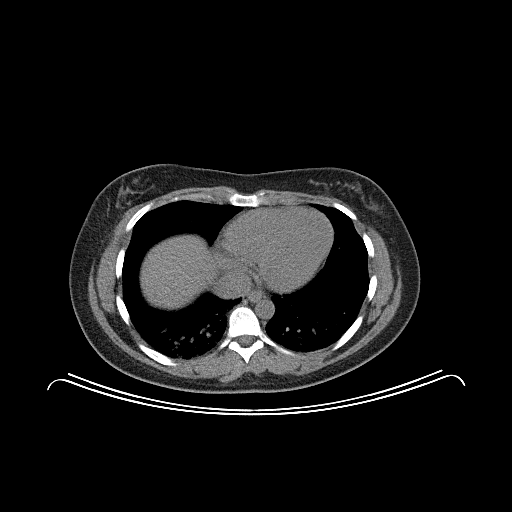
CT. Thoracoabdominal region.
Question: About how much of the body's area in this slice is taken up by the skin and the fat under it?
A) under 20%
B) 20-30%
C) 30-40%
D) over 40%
Answer: B) 20-30%
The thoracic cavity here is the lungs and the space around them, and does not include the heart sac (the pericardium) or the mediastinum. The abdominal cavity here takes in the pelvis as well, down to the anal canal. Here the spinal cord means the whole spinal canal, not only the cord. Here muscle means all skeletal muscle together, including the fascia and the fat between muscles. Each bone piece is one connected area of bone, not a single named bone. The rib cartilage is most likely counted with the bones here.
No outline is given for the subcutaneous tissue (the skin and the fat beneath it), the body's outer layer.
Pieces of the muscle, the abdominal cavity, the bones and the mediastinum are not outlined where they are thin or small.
thoracic cavity 1: 180 200; 241 207; 222 226; 211 245; 198 233; 176 233; 154 243; 139 264; 139 291; 145 303; 154 309; 177 312; 206 293; 240 299; 227 315; 220 342; 190 358; 173 358; 147 344; 131 321; 122 288; 124 258; 133 227; 152 209
thoracic cavity 2: 311 203; 335 208; 353 221; 366 249; 369 280; 358 314; 345 331; 333 343; 323 348; 302 352; 291 350; 277 343; 264 328; 276 310; 272 295; 274 293; 281 296; 288 294; 307 284; 324 266; 332 246; 333 226; 327 216; 311 206
bones 1: 238 305; 250 308; 257 317; 259 324; 265 333; 277 344; 295 352; 297 356; 292 356; 277 351; 266 343; 263 347; 257 349; 246 363; 236 351; 229 349; 226 346; 218 350; 217 346; 224 338; 228 327; 228 315; 230 311; inner edge: 242 335; 249 335; 250 336; 251 336; 253 338; 253 341; 249 345; 248 345; 247 346; 243 346; 242 345; 241 345; 239 343; 239 342; 238 341; 238 337; 239 337; 240 336; 241 336
bones 2: 227 188; 244 195; 255 194; 261 190; 265 191; 267 194; 280 194; 283 197; 283 202; 274 202; 258 206; 239 206; 228 203; 223 199; 217 199; 214 201; 180 199; 164 203; 168 202; 172 197; 177 195; 197 192; 215 194; 220 193
bones 3: 138 343; 141 343; 142 344; 144 344; 150 347; 152 349; 170 358; 172 358; 177 363; 177 365; 175 366; 166 365; 165 364; 162 364; 154 360; 152 358; 151 358; 149 356; 145 354; 138 347; 137 345
bones 4: 361 314; 363 315; 363 319; 362 320; 362 322; 360 326; 355 332; 355 333; 344 344; 343 344; 335 350; 332 350; 332 346; 333 344; 346 331; 346 330; 353 323; 353 322; 356 319; 358 315; 360 315
bones 5: 149 202; 152 202; 154 204; 154 208; 152 208; 150 210; 147 211; 134 224; 134 225; 132 227; 130 231; 128 231; 127 232; 125 231; 125 226; 128 222; 128 221; 130 219; 130 218; 132 216; 132 215; 137 210; 138 210
bones 6: 117 294; 119 294; 122 298; 123 300; 123 302; 125 305; 125 307; 129 314; 129 317; 130 318; 130 321; 131 322; 131 323; 129 325; 127 325; 125 323; 125 322; 121 317; 118 311; 118 309; 116 305; 116 299; 115 298
bones 7: 122 247; 124 247; 125 248; 125 253; 124 254; 124 257; 123 258; 123 263; 122 264; 122 269; 121 270; 121 277; 120 278; 117 278; 116 276; 116 268; 115 266; 116 265; 116 260; 117 259; 117 255; 118 254; 118 252; 119 250
bones 8: 373 274; 376 275; 376 278; 377 279; 377 284; 376 285; 376 288; 375 289; 375 292; 374 293; 372 298; 370 300; 368 300; 366 297; 366 295; 367 294; 367 292; 368 291; 368 288; 369 287; 369 281; 370 280; 370 276
bones 9: 333 202; 337 202; 338 203; 345 206; 347 208; 348 208; 350 210; 351 210; 356 215; 357 218; 355 220; 353 220; 349 216; 348 216; 342 211; 339 210; 337 208; 336 208; 335 207; 333 207; 332 206; 331 206; 331 204
bones 10: 364 232; 365 232; 369 236; 369 237; 371 239; 371 241; 372 242; 372 244; 373 245; 373 251; 374 252; 374 254; 372 257; 369 257; 368 256; 368 253; 367 252; 367 249; 366 248; 366 246; 364 243; 364 241; 362 238; 362 234
torso: 157 163; 177 163; 242 174; 332 166; 350 169; 370 178; 395 205; 417 253; 420 291; 407 325; 387 348; 359 367; 327 381; 289 391; 197 393; 148 383; 114 368; 90 345; 75 316; 68 284; 71 254; 82 223; 97 194; 119 175
abdominal cavity: 183 233; 198 234; 206 240; 207 243; 211 246; 211 248; 215 252; 216 260; 218 263; 219 275; 209 286; 208 292; 203 293; 187 307; 177 311; 168 311; 154 308; 146 303; 140 291; 138 282; 140 264; 146 252; 154 244; 169 236
mediastinum: 217 258; 222 264; 230 266; 237 271; 246 274; 261 288; 273 292; 271 295; 271 300; 274 304; 275 310; 273 315; 263 328; 260 324; 258 317; 250 307; 238 304; 241 301; 239 297; 221 297; 209 292; 210 286; 220 275; 219 263
spinal cord: 242 335; 249 335; 250 336; 251 336; 253 338; 253 341; 249 345; 248 345; 247 346; 243 346; 242 345; 241 345; 239 343; 239 342; 238 341; 238 337; 239 337; 240 336; 241 336
pericardium: 286 205; 309 206; 322 212; 329 220; 332 226; 333 239; 325 260; 316 274; 303 286; 291 292; 280 294; 261 287; 243 271; 237 270; 230 265; 222 263; 217 257; 216 252; 214 250; 214 242; 223 226; 236 214; 252 208
muscle: 219 185; 237 191; 227 187; 215 193; 186 192; 174 195; 156 207; 149 201; 137 209; 124 226; 124 231; 130 235; 126 248; 122 246; 116 255; 115 276; 121 278; 122 297; 119 293; 115 295; 115 305; 124 323; 127 326; 132 324; 146 343; 136 344; 145 355; 162 365; 175 367; 178 363; 174 359; 190 359; 216 347; 218 351; 226 347; 247 364; 251 356; 266 344; 292 357; 298 356; 296 352; 314 352; 332 344; 331 350; 335 351; 359 329; 364 319; 364 315; 359 314; 360 309; 365 298; 368 301; 373 298; 378 279; 376 274; 369 274; 368 257; 374 256; 374 245; 365 231; 361 235; 356 229; 357 215; 337 201; 330 205; 309 201; 284 202; 280 193; 267 193; 261 189; 334 197; 353 208; 379 233; 387 247; 390 263; 399 266; 402 280; 400 303; 388 324; 357 351; 315 371; 302 375; 261 376; 245 372; 228 382; 172 375; 135 359; 114 344; 94 317; 87 290; 91 266; 101 257; 114 227; 127 210; 138 204; 178 189